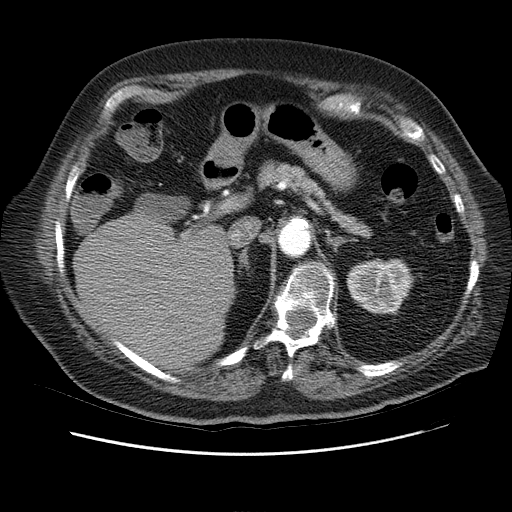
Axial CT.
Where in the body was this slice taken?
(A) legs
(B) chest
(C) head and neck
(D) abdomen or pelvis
Answer: (D) abdomen or pelvis
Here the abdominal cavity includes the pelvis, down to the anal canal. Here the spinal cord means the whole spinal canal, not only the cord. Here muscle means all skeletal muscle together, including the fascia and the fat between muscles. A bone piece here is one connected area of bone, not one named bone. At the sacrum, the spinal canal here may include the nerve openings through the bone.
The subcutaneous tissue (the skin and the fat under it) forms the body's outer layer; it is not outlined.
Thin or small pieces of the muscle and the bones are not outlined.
Outlines (x, y in pixels):
abdominal cavity: 247 74; 306 86; 334 116; 385 122; 419 146; 439 175; 467 233; 470 259; 455 314; 423 347; 377 363; 346 353; 336 277; 315 260; 291 269; 236 349; 178 377; 116 339; 74 293; 65 263; 69 202; 116 108; 130 98; 165 102
spinal cord: 297 308; 303 308; 306 310; 311 311; 313 313; 313 315; 316 318; 316 320; 310 327; 305 329; 298 336; 298 337; 294 338; 287 332; 288 330; 291 330; 293 328; 293 327; 291 326; 287 321; 287 312; 288 311; 296 310
torso: 209 37; 286 38; 363 52; 409 72; 441 100; 500 182; 508 214; 508 297; 483 369; 421 399; 389 404; 375 414; 351 419; 254 425; 162 423; 84 390; 22 322; 3 289; 0 271; 8 198; 35 170; 70 104; 97 72; 148 47
bones 1: 308 261; 322 263; 335 277; 330 304; 330 310; 336 318; 334 326; 331 329; 324 326; 315 344; 297 349; 291 358; 279 341; 271 341; 259 349; 253 348; 254 341; 267 335; 276 322; 276 312; 272 308; 274 296; 285 284; 292 269; inner edge: 297 308; 303 308; 306 310; 311 311; 313 313; 313 315; 316 318; 316 320; 310 327; 305 329; 298 336; 298 337; 294 338; 287 332; 288 330; 291 330; 293 328; 293 327; 291 326; 287 321; 287 312; 288 311; 296 310
bones 2: 133 84; 137 84; 144 88; 148 87; 153 89; 158 89; 164 92; 166 96; 160 96; 148 92; 142 93; 140 95; 134 95; 122 101; 115 108; 111 114; 109 123; 107 124; 102 121; 101 117; 104 109; 104 105; 107 99; 120 88
bones 3: 336 93; 351 93; 356 96; 360 97; 361 98; 361 105; 360 106; 360 112; 359 113; 359 115; 355 115; 353 113; 343 113; 341 111; 339 111; 338 112; 334 110; 326 110; 325 109; 322 109; 319 106; 319 103; 326 97
bones 4: 113 339; 118 340; 125 346; 129 348; 142 358; 145 359; 148 362; 151 363; 160 370; 166 373; 168 373; 172 376; 177 377; 180 380; 180 382; 172 383; 168 381; 165 381; 154 376; 152 374; 150 374; 146 372; 128 358; 113 343
bones 5: 390 360; 397 360; 398 361; 401 361; 403 363; 399 367; 382 375; 379 375; 378 376; 373 376; 372 377; 368 377; 367 376; 365 376; 361 372; 358 371; 356 369; 356 367; 364 363; 365 364; 377 364; 378 363; 383 363
bones 6: 401 116; 408 117; 412 119; 421 128; 422 128; 423 132; 425 135; 425 138; 423 141; 417 141; 416 140; 414 141; 411 141; 411 140; 407 137; 404 137; 401 135; 401 131; 398 125; 399 124; 398 123; 398 121; 399 120; 399 118
bones 7: 56 220; 59 220; 62 228; 62 234; 63 235; 63 241; 64 242; 64 263; 65 264; 65 273; 64 275; 62 275; 60 273; 57 265; 57 261; 56 260; 57 248; 56 247; 56 242; 55 241; 55 230; 54 229; 55 227; 55 221
bones 8: 246 345; 247 345; 249 347; 249 348; 246 352; 246 355; 240 361; 236 363; 234 363; 233 364; 229 364; 228 365; 223 365; 222 366; 218 366; 216 365; 216 360; 217 359; 219 358; 221 358; 233 352; 235 350; 243 346; 245 346
bones 9: 74 163; 77 163; 80 167; 80 174; 75 183; 75 185; 73 188; 73 190; 72 191; 70 199; 69 201; 67 202; 66 201; 66 196; 65 195; 65 185; 66 184; 66 181; 67 180; 67 177; 68 176; 69 171; 72 165
bones 10: 472 259; 475 259; 477 261; 479 266; 479 273; 477 277; 477 280; 473 286; 471 291; 467 297; 464 299; 463 298; 463 296; 464 295; 464 291; 466 288; 466 284; 467 283; 468 276; 469 275; 469 266; 470 265; 470 260
bones 11: 430 153; 433 153; 434 154; 435 154; 435 155; 441 161; 441 162; 443 164; 443 165; 445 168; 445 172; 444 173; 443 173; 442 174; 439 174; 434 169; 434 168; 432 166; 431 163; 429 161; 429 160; 428 159; 428 155
muscle: 216 68; 265 69; 290 72; 293 74; 298 73; 305 76; 337 81; 341 83; 355 83; 362 87; 371 86; 389 93; 399 102; 403 103; 415 112; 419 118; 441 139; 466 175; 469 187; 479 205; 479 209; 481 210; 484 219; 484 236; 487 243; 488 257; 481 272; 483 276; 481 284; 483 291; 482 298; 484 312; 483 324; 477 332; 477 335; 471 336; 457 347; 446 352; 424 369; 419 370; 405 378; 398 379; 372 390; 352 396; 337 398; 334 400; 309 399; 290 386; 286 385; 285 387; 281 387; 274 385; 269 386; 267 389; 262 389; 252 397; 238 401; 212 401; 188 398; 153 389; 149 385; 124 371; 98 360; 74 338; 75 331; 70 327; 62 312; 60 304; 49 289; 49 286; 42 281; 39 275; 41 268; 36 261; 36 252; 34 250; 34 232; 38 230; 36 226; 39 222; 41 207; 44 204; 46 192; 50 183; 62 163; 62 160; 70 148; 92 126; 96 120; 97 114; 95 109; 99 101; 106 91; 117 82; 126 78; 146 75, around holes outlined by 247 74; 306 86; 318 107; 336 93; 360 97; 360 116; 385 122; 427 157; 435 154; 445 168; 439 177; 450 198; 460 195; 464 211; 459 219; 469 239; 469 258; 479 266; 477 280; 445 328; 423 347; 398 357; 403 363; 385 374; 368 377; 356 369; 364 362; 342 349; 337 320; 291 358; 279 341; 253 348; 276 322; 271 304; 237 346; 249 347; 240 361; 218 366; 215 359; 179 376; 180 382; 165 381; 113 343; 116 338; 92 317; 67 274; 59 271; 54 228; 59 220; 65 233; 67 177; 74 163; 81 174; 85 171; 96 140; 106 131; 101 117; 107 99; 137 84; 166 96; 147 92; 133 100; 165 102; 198 85 and by 401 116; 408 117; 412 119; 421 128; 422 128; 423 132; 425 135; 425 138; 423 141; 417 141; 416 140; 414 141; 411 141; 411 140; 407 137; 404 137; 401 135; 401 131; 398 125; 399 124; 398 123; 398 121; 399 120; 399 118 and by 288 363; 291 363; 291 364; 292 365; 292 374; 293 375; 293 377; 292 378; 292 379; 291 379; 290 380; 288 380; 287 381; 282 381; 281 380; 281 376; 282 375; 282 373; 284 371; 284 370; 286 368; 286 367; 287 366; 287 364